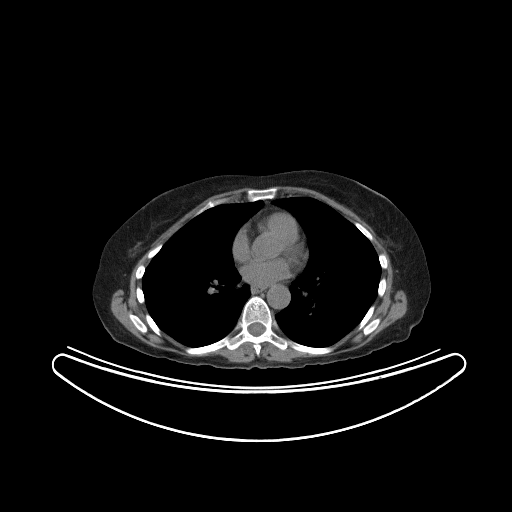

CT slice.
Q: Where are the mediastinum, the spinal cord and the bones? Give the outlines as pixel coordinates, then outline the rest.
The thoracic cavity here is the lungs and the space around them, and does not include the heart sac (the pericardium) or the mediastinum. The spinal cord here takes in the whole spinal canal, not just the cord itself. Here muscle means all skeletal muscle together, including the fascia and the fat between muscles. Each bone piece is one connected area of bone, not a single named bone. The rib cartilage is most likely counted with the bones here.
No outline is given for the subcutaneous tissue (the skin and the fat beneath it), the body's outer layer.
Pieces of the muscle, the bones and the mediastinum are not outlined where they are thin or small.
A: {"mediastinum":[[[242,278],[246,282],[250,282],[256,284],[267,284],[272,282],[287,281],[288,280],[292,280],[295,278],[289,286],[291,299],[288,305],[277,312],[274,316],[270,307],[263,298],[258,295],[250,296],[251,294],[249,285],[247,283],[244,283],[242,281]],[[266,199],[273,199],[272,200],[272,203],[274,205],[278,206],[284,209],[282,209],[279,207],[275,207],[274,206],[273,207],[272,206],[271,207],[266,207],[264,209],[262,209],[259,212],[256,213],[262,208],[262,207],[264,205],[263,200],[265,200]]],"spinal_cord":[[[254,323],[259,323],[260,324],[261,324],[264,327],[264,331],[262,333],[261,333],[259,335],[253,335],[251,333],[250,333],[249,332],[249,331],[248,330],[248,327],[251,324],[253,324]]],"bones":[{"outer":[[252,296],[258,296],[265,301],[287,338],[309,347],[333,346],[334,349],[326,354],[311,354],[290,346],[280,349],[265,341],[261,343],[257,356],[253,344],[245,341],[235,349],[224,346],[202,354],[187,353],[186,347],[205,346],[227,335]],"hole":[[254,323],[259,323],[260,324],[261,324],[264,327],[264,331],[262,333],[261,333],[259,335],[253,335],[251,333],[250,333],[249,332],[249,331],[248,330],[248,327],[251,324],[253,324]]},[[130,313],[134,315],[136,315],[143,322],[145,323],[146,322],[146,320],[145,319],[145,314],[146,313],[148,313],[161,330],[161,334],[160,335],[156,334],[149,327],[147,328],[147,331],[146,332],[142,332],[140,331],[131,321],[129,317],[129,314]],[[270,187],[276,187],[278,189],[277,191],[277,195],[276,197],[274,198],[266,198],[265,199],[259,199],[258,200],[255,200],[254,201],[246,201],[245,199],[245,193],[248,189],[250,189],[251,188],[253,189],[265,189],[266,188],[269,188]],[[373,304],[374,305],[374,310],[371,315],[370,319],[371,320],[373,320],[376,318],[379,318],[380,319],[380,321],[377,327],[374,330],[373,330],[367,335],[365,335],[363,333],[363,331],[361,329],[360,330],[356,330],[356,328],[371,306],[371,305]],[[220,198],[228,198],[229,199],[227,202],[224,202],[223,203],[221,203],[220,204],[215,205],[212,207],[210,207],[204,210],[199,214],[194,216],[195,213],[200,208],[201,208],[204,205],[205,205],[209,201],[213,201],[214,200],[216,200]],[[355,222],[357,222],[358,223],[359,223],[361,225],[362,225],[371,234],[371,235],[372,236],[372,237],[373,238],[373,240],[372,241],[370,241],[370,240],[365,235],[364,235],[360,231],[360,230],[354,224],[354,223]],[[160,243],[161,243],[162,244],[162,246],[161,247],[161,248],[150,259],[149,259],[147,257],[147,255],[148,254],[148,253],[149,252],[149,251],[150,250],[151,250],[153,248],[154,248],[157,245],[158,245]]],"muscle":[[[279,185],[320,192],[350,209],[372,228],[383,241],[389,256],[393,288],[406,294],[407,310],[402,317],[363,346],[350,351],[294,358],[290,362],[263,358],[230,362],[221,355],[186,356],[153,347],[133,335],[114,316],[110,309],[112,294],[118,289],[129,291],[133,268],[162,233],[205,199],[247,187],[250,188],[244,193],[245,201],[229,201],[228,197],[209,200],[163,244],[160,242],[148,251],[148,264],[141,263],[135,270],[135,278],[141,279],[141,286],[135,288],[135,294],[137,301],[144,303],[147,309],[145,322],[130,312],[128,317],[132,324],[142,333],[146,333],[148,328],[158,336],[164,332],[186,346],[184,351],[189,355],[202,355],[224,347],[235,350],[249,342],[257,357],[265,342],[280,350],[290,347],[302,353],[326,355],[335,349],[332,345],[355,328],[365,336],[374,331],[381,319],[371,319],[375,310],[373,303],[377,296],[383,296],[387,285],[386,278],[381,277],[382,270],[388,267],[386,255],[377,253],[372,234],[359,222],[351,222],[315,197],[277,197],[279,189],[274,186]]],"thoracic_cavity":[[[259,200],[262,200],[263,205],[239,228],[231,244],[231,254],[234,266],[241,277],[241,281],[248,285],[250,294],[232,329],[218,340],[200,346],[187,346],[162,331],[148,312],[142,288],[142,278],[151,259],[180,228],[204,211],[228,202],[254,202]],[[292,196],[315,198],[336,210],[371,242],[381,268],[377,295],[372,304],[353,329],[333,344],[327,346],[309,346],[287,337],[275,319],[275,315],[289,305],[292,299],[290,286],[304,270],[309,257],[306,235],[299,222],[289,211],[273,203],[274,199]]],"pericardium":[[[272,207],[279,208],[289,212],[298,222],[306,239],[306,245],[308,249],[307,261],[300,273],[292,279],[272,281],[267,283],[256,283],[246,281],[242,277],[234,263],[234,259],[232,254],[232,244],[234,238],[240,228],[246,222],[262,210]]],"torso":[[[301,169],[329,171],[363,183],[389,198],[414,227],[425,253],[431,292],[421,321],[412,328],[406,340],[363,357],[324,365],[247,370],[187,365],[156,358],[118,343],[110,336],[94,307],[92,285],[105,243],[134,212],[168,189],[205,177],[265,175]]]}